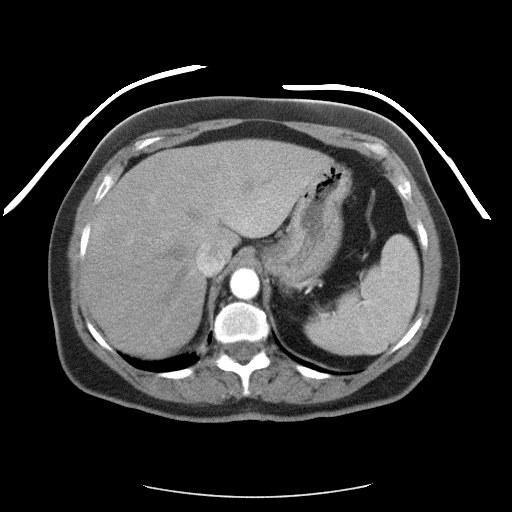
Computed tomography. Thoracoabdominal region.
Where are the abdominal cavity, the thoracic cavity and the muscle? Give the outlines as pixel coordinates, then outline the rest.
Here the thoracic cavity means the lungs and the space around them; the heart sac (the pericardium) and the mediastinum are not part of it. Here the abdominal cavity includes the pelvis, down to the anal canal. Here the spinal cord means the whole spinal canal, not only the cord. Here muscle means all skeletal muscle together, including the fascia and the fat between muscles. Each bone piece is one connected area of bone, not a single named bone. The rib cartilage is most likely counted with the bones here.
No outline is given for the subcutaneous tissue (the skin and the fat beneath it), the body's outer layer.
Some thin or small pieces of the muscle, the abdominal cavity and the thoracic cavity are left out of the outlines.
{"abdominal_cavity":[[[245,122],[280,124],[355,149],[400,197],[423,262],[421,304],[394,343],[361,369],[332,371],[284,349],[272,336],[260,304],[259,275],[247,265],[237,265],[223,280],[212,334],[200,356],[132,357],[116,351],[88,316],[82,266],[92,218],[129,160]]],"thoracic_cavity":[[[119,353],[138,360],[147,361],[148,362],[166,360],[169,358],[173,358],[184,354],[190,354],[191,353],[196,354],[199,358],[197,361],[189,366],[180,368],[179,369],[175,369],[174,370],[158,371],[157,372],[156,371],[138,368],[132,365],[124,359]],[[273,335],[279,343],[279,345],[290,354],[304,361],[314,364],[320,368],[323,368],[332,372],[348,373],[341,373],[340,374],[331,373],[327,371],[321,371],[314,368],[311,368],[303,364],[298,363],[292,359],[280,348],[275,342],[273,338]]],"muscle":[{"outer":[[248,117],[263,117],[264,118],[271,118],[272,119],[286,120],[287,121],[303,121],[304,122],[318,123],[319,124],[337,126],[338,127],[346,127],[363,133],[367,133],[382,139],[400,157],[416,181],[416,183],[423,194],[427,203],[439,237],[439,244],[442,258],[440,286],[437,293],[437,298],[435,302],[432,315],[426,328],[423,331],[423,334],[420,338],[420,340],[411,352],[404,359],[394,364],[374,379],[371,380],[357,390],[341,398],[325,402],[313,403],[312,404],[284,404],[279,402],[278,403],[267,402],[260,399],[255,399],[250,397],[236,397],[232,398],[221,404],[211,404],[210,405],[193,405],[192,404],[186,404],[180,402],[174,402],[173,401],[159,399],[153,397],[134,387],[129,382],[94,355],[83,343],[74,326],[71,313],[71,308],[70,307],[70,288],[69,287],[69,280],[70,278],[68,272],[68,259],[66,253],[74,225],[74,219],[77,207],[81,199],[92,183],[94,178],[106,162],[118,150],[127,145],[139,135],[158,128],[177,127],[198,121],[218,119],[219,118],[247,118]],"holes":[[[245,122],[280,124],[326,144],[355,149],[395,188],[394,170],[389,161],[360,144],[380,143],[394,154],[410,184],[412,202],[401,196],[400,202],[423,262],[421,304],[415,317],[422,316],[422,321],[404,345],[388,352],[413,321],[381,356],[365,367],[317,379],[303,376],[295,368],[298,363],[280,348],[270,332],[263,343],[270,363],[250,374],[250,393],[244,395],[239,375],[216,365],[215,360],[224,347],[213,337],[190,366],[193,368],[191,375],[169,378],[132,365],[117,351],[113,353],[103,347],[91,334],[86,325],[89,317],[82,291],[83,260],[79,250],[82,230],[92,221],[98,205],[94,197],[105,174],[116,168],[114,185],[131,158],[189,141],[207,131]],[[418,219],[419,219],[421,221],[421,222],[422,223],[422,224],[426,231],[426,233],[427,234],[427,248],[425,250],[423,250],[422,249],[422,247],[421,246],[421,244],[420,243],[420,240],[419,239],[419,236],[418,235],[418,233],[416,230],[416,222]],[[155,136],[162,136],[163,137],[162,139],[158,141],[156,141],[144,147],[142,149],[140,149],[139,150],[133,150],[132,148],[133,147],[134,143],[136,141],[138,141],[139,140],[142,140],[143,139],[145,139],[146,138],[149,138],[150,137],[154,137]]]}],"bones":[{"outer":[[235,301],[249,303],[262,309],[266,314],[270,329],[270,332],[263,343],[270,363],[267,367],[255,369],[250,374],[248,385],[250,393],[248,395],[242,393],[242,381],[237,373],[223,370],[215,363],[215,360],[224,347],[213,336],[214,320],[222,307]],"hole":[[244,340],[246,341],[249,341],[250,342],[255,342],[257,344],[258,350],[257,352],[248,361],[247,361],[245,363],[241,363],[237,361],[235,359],[232,358],[230,356],[227,350],[227,345],[230,343],[234,343],[235,342],[238,342],[239,341],[243,341]]},[[361,142],[380,143],[389,151],[390,154],[391,153],[394,154],[405,173],[405,177],[409,181],[412,195],[412,202],[411,203],[406,201],[398,192],[395,185],[396,182],[394,177],[393,171],[394,170],[389,161],[383,157],[380,157],[361,145],[360,144]],[[114,167],[115,167],[117,170],[117,176],[115,178],[113,184],[109,188],[109,189],[106,192],[103,197],[102,197],[97,203],[95,203],[94,202],[94,197],[96,194],[97,189],[103,179],[103,177],[105,175],[105,174],[106,174],[112,168]],[[419,316],[422,316],[422,321],[421,322],[421,324],[418,328],[417,331],[413,335],[410,340],[404,345],[398,348],[395,351],[391,353],[388,353],[391,348],[393,347],[404,336],[404,335],[408,331],[408,330],[414,323],[416,319]],[[296,364],[300,364],[306,367],[308,367],[311,369],[314,369],[321,372],[327,372],[328,373],[330,373],[332,375],[332,376],[328,378],[322,378],[321,379],[317,379],[316,378],[312,378],[311,377],[305,377],[303,376],[295,368],[295,365]],[[190,366],[193,368],[193,373],[191,375],[189,375],[188,376],[186,376],[182,378],[169,378],[168,377],[161,377],[160,376],[157,376],[156,375],[156,374],[158,372],[166,372],[167,371],[174,371],[175,370],[183,369],[184,368],[186,368]],[[86,319],[88,319],[91,322],[91,323],[93,325],[95,329],[97,330],[97,331],[101,335],[101,336],[105,340],[105,341],[115,351],[114,353],[109,351],[107,349],[103,347],[94,338],[94,337],[89,331],[86,325]],[[87,223],[89,223],[90,224],[90,228],[89,229],[89,235],[88,236],[88,239],[87,240],[87,245],[85,249],[85,253],[82,259],[79,256],[79,250],[80,249],[80,239],[81,238],[81,233],[82,232],[82,230],[85,226],[85,225]],[[418,219],[419,219],[421,221],[421,222],[422,223],[422,224],[426,231],[426,233],[427,234],[427,248],[425,250],[423,250],[422,249],[422,247],[421,246],[421,244],[420,243],[420,240],[419,239],[419,236],[418,235],[418,233],[416,230],[416,222]],[[155,136],[162,136],[163,137],[162,139],[158,141],[156,141],[144,147],[142,149],[140,149],[139,150],[133,150],[132,148],[133,147],[134,143],[136,141],[138,141],[139,140],[142,140],[143,139],[145,139],[146,138],[149,138],[150,137],[154,137]]],"mediastinum":[[[237,266],[247,266],[252,268],[258,275],[259,278],[259,290],[260,291],[259,304],[261,306],[261,308],[259,306],[249,302],[235,300],[222,306],[216,313],[216,300],[218,297],[218,293],[222,287],[222,284],[224,283],[224,280],[226,279],[228,274]]],"torso":[[[208,96],[289,98],[351,106],[389,120],[415,146],[456,237],[460,286],[453,320],[429,370],[403,398],[353,413],[304,421],[198,423],[170,419],[90,395],[77,388],[65,375],[57,355],[47,288],[50,233],[64,195],[96,146],[118,124],[154,106]]],"spinal_cord":[[[244,340],[246,341],[249,341],[250,342],[255,342],[257,344],[258,350],[257,352],[248,361],[247,361],[245,363],[241,363],[237,361],[235,359],[232,358],[230,356],[227,350],[227,345],[230,343],[234,343],[235,342],[238,342],[239,341],[243,341]]]}